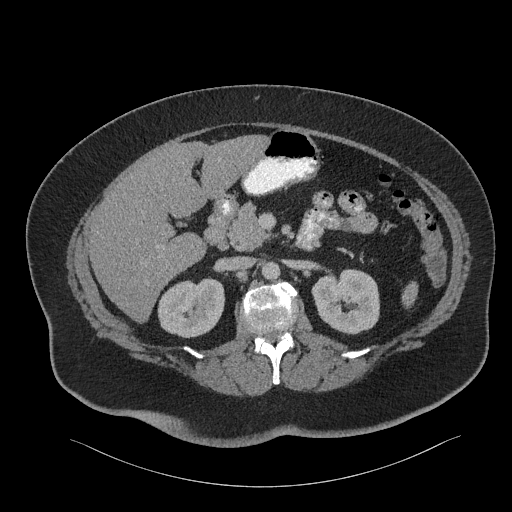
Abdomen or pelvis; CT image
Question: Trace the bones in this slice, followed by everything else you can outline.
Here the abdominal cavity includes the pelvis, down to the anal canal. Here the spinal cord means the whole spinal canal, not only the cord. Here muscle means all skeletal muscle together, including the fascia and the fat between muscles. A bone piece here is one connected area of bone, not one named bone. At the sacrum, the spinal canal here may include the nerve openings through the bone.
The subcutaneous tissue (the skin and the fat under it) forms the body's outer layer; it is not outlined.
Answer: {"bones":[{"outer":[[279,281],[288,282],[298,294],[295,298],[297,306],[296,318],[289,327],[295,345],[282,354],[279,362],[280,382],[275,385],[272,382],[273,367],[271,360],[266,354],[254,352],[254,337],[256,334],[244,321],[240,309],[242,297],[250,288],[274,284]],"hole":[[272,329],[276,329],[277,330],[281,330],[283,332],[282,333],[282,334],[280,336],[280,339],[275,343],[271,343],[270,342],[267,341],[265,339],[265,338],[263,336],[262,336],[262,334],[264,332],[265,332],[266,331],[268,331],[269,330],[271,330]]},[[374,344],[375,345],[374,347],[373,347],[368,352],[360,356],[358,356],[354,358],[345,358],[341,356],[341,353],[343,352],[345,352],[349,350],[357,350],[358,349],[361,349],[367,346],[369,346],[370,345],[373,345]],[[184,346],[188,346],[189,347],[192,348],[194,350],[195,350],[196,351],[197,351],[198,352],[203,354],[204,355],[204,357],[203,358],[197,358],[196,357],[191,355],[187,351],[182,349],[182,347],[183,347]]],"abdominal_cavity":[[[230,126],[285,129],[325,138],[359,149],[410,176],[440,212],[451,238],[449,279],[430,313],[383,343],[350,349],[314,331],[298,291],[279,280],[250,287],[234,307],[234,337],[200,351],[188,345],[154,343],[112,313],[88,263],[92,218],[158,150]]],"muscle":[{"outer":[[230,121],[264,121],[265,122],[288,123],[292,125],[298,125],[312,129],[316,129],[320,131],[325,131],[355,140],[371,146],[379,151],[395,158],[403,164],[411,167],[435,184],[447,195],[458,210],[464,223],[464,226],[469,234],[470,240],[469,250],[472,255],[472,260],[465,287],[462,292],[461,298],[457,308],[449,319],[425,336],[424,338],[425,344],[424,345],[418,348],[397,352],[387,357],[386,359],[379,361],[374,367],[373,370],[368,372],[363,379],[345,387],[319,393],[301,392],[285,387],[273,387],[261,395],[254,397],[247,396],[241,398],[237,396],[226,395],[216,392],[211,389],[204,388],[197,384],[188,376],[183,375],[181,373],[177,372],[174,369],[163,367],[150,362],[146,362],[136,359],[130,356],[126,349],[117,345],[109,339],[99,337],[95,334],[95,330],[84,317],[80,306],[72,295],[70,288],[67,285],[67,282],[65,279],[66,249],[70,236],[79,219],[86,209],[92,203],[98,192],[124,168],[148,150],[179,134],[200,129],[206,126]],"hole":[[230,126],[325,138],[410,176],[451,238],[449,279],[430,313],[345,358],[350,348],[313,330],[298,295],[295,345],[281,356],[277,385],[270,358],[253,350],[239,300],[234,337],[202,349],[203,358],[154,343],[112,313],[88,263],[92,218],[158,150]]}],"torso":[[[252,83],[323,88],[399,109],[445,136],[477,175],[495,231],[489,348],[477,375],[437,407],[359,435],[285,434],[253,445],[216,447],[179,439],[133,417],[93,409],[56,380],[48,326],[25,246],[27,214],[40,183],[73,145],[133,108],[189,90]]],"spinal_cord":[[[272,329],[276,329],[277,330],[281,330],[283,332],[282,333],[282,334],[280,336],[280,339],[275,343],[271,343],[270,342],[267,341],[265,339],[265,338],[263,336],[262,336],[262,334],[264,332],[265,332],[266,331],[268,331],[269,330],[271,330]]]}